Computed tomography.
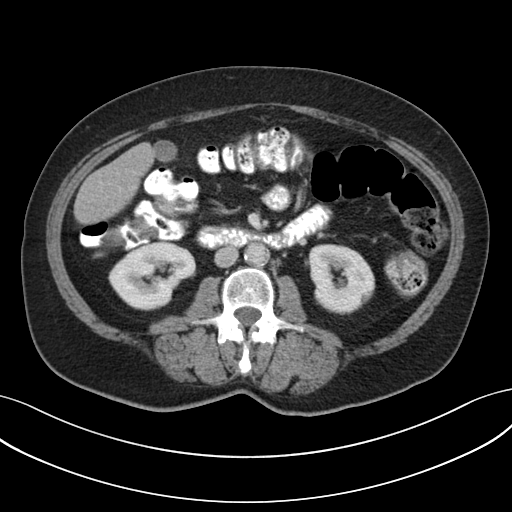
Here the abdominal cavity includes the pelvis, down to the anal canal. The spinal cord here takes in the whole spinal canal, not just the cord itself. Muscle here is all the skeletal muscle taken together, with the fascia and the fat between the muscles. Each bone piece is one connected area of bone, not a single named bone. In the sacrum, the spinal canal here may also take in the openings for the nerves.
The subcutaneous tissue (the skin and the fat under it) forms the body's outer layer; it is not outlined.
Outlines (x, y in pixels):
spinal cord: (243, 307) (251, 307) (252, 308) (255, 308) (257, 309) (260, 312) (260, 316) (259, 318) (258, 318) (248, 327) (245, 327) (243, 326) (241, 322) (235, 316) (234, 314) (235, 311) (237, 309) (239, 308) (242, 308)
muscle: (258, 102) (280, 102) (318, 108) (328, 112) (356, 119) (408, 142) (433, 161) (447, 178) (455, 190) (463, 214) (465, 236) (460, 264) (451, 286) (434, 315) (408, 340) (400, 345) (388, 349) (381, 353) (357, 357) (321, 387) (307, 394) (301, 394) (297, 396) (291, 395) (286, 390) (280, 392) (267, 393) (260, 389) (249, 379) (241, 376) (235, 378) (228, 383) (219, 386) (212, 386) (200, 381) (191, 384) (176, 381) (167, 375) (140, 349) (133, 345) (121, 341) (105, 338) (94, 332) (81, 322) (66, 305) (65, 301) (60, 295) (52, 276) (51, 269) (47, 259) (46, 219) (52, 200) (62, 180) (67, 173) (92, 149) (120, 133) (167, 117) (189, 113) (196, 110) (205, 110) (212, 108) (220, 108) (224, 106), around a hole outlined by (265, 106) (395, 151) (437, 190) (450, 241) (419, 305) (358, 345) (307, 322) (293, 278) (278, 275) (273, 311) (304, 331) (251, 342) (243, 374) (242, 345) (192, 323) (222, 311) (222, 277) (204, 277) (182, 315) (124, 329) (74, 285) (61, 233) (79, 184) (123, 146)
bones: (244, 267) (267, 273) (274, 289) (274, 313) (304, 328) (303, 332) (279, 329) (273, 345) (251, 342) (251, 369) (245, 374) (240, 372) (238, 366) (242, 356) (241, 344) (228, 339) (220, 344) (217, 340) (218, 330) (213, 324) (192, 323) (222, 311) (222, 283) (230, 273); inner edge: (243, 307) (251, 307) (252, 308) (255, 308) (257, 309) (260, 312) (260, 316) (259, 318) (258, 318) (248, 327) (245, 327) (243, 326) (241, 322) (235, 316) (234, 314) (235, 311) (237, 309) (239, 308) (242, 308)
abdominal cavity: (265, 106) (373, 137) (431, 182) (447, 211) (450, 241) (423, 300) (387, 335) (345, 344) (306, 321) (291, 276) (278, 275) (275, 292) (267, 272) (244, 266) (223, 280) (204, 277) (182, 315) (143, 330) (104, 321) (74, 285) (62, 253) (62, 224) (79, 184) (148, 133)
torso: (232, 65) (308, 67) (371, 83) (428, 113) (463, 152) (486, 200) (489, 251) (462, 342) (432, 378) (371, 403) (314, 416) (276, 413) (243, 393) (189, 409) (157, 412) (73, 385) (41, 359) (25, 316) (20, 247) (26, 207) (51, 152) (81, 118) (123, 93) (174, 75)